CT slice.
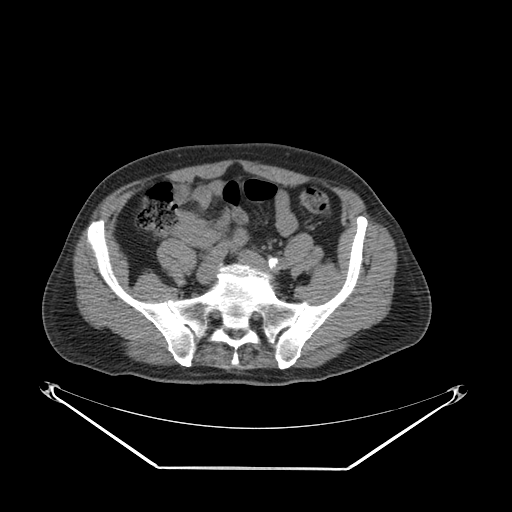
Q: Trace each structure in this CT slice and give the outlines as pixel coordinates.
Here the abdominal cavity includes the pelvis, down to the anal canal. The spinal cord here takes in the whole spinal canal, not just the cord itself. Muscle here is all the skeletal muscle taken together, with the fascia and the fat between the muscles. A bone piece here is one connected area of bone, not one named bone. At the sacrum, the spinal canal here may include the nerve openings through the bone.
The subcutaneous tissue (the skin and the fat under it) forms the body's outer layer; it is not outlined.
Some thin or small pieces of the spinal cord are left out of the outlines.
A: The torso is outlined by (246, 142) (279, 143) (321, 153) (347, 165) (367, 182) (402, 228) (426, 279) (432, 309) (423, 337) (412, 346) (343, 374) (275, 386) (158, 382) (130, 374) (109, 375) (62, 358) (49, 343) (43, 328) (42, 295) (72, 223) (97, 184) (122, 165) (157, 151) (195, 144). The muscle appears in 3 outlined pieces: piece 1: (228, 159) (340, 182) (362, 199) (394, 241) (397, 266) (388, 314) (359, 334) (345, 351) (317, 367) (291, 367) (307, 340) (353, 292) (369, 223) (362, 214) (355, 218) (345, 278) (336, 293) (318, 304) (296, 301) (296, 289) (307, 285) (311, 274) (290, 275) (284, 254) (288, 242) (306, 233) (322, 248) (322, 261) (336, 263) (338, 240) (345, 229) (340, 197) (319, 182) (284, 184) (233, 163) (215, 177) (186, 182) (166, 179) (136, 191) (118, 213) (113, 231) (127, 257) (129, 285) (149, 269) (178, 290) (176, 299) (145, 301) (127, 292) (113, 270) (105, 221) (99, 218) (92, 220) (88, 224) (86, 228) (86, 242) (103, 281) (153, 324) (178, 364) (153, 365) (132, 359) (115, 338) (91, 326) (78, 310) (72, 258) (79, 236) (97, 205) (132, 181); piece 2: (208, 332) (208, 341) (222, 342) (233, 349) (230, 365) (234, 368) (240, 367) (238, 349) (245, 344) (258, 344) (261, 341) (261, 332) (267, 342) (273, 344) (273, 356) (277, 368) (234, 369) (233, 371) (228, 371) (212, 366) (192, 366) (197, 349) (195, 338) (201, 339); piece 3: (169, 238) (173, 238) (176, 240) (180, 241) (188, 248) (190, 248) (193, 250) (195, 253) (195, 262) (193, 265) (192, 270) (189, 274) (184, 284) (181, 286) (176, 285) (172, 277) (164, 271) (160, 265) (160, 263) (158, 261) (158, 259) (156, 255) (156, 250) (161, 242). The bones are outlined by (359, 215) (368, 223) (356, 284) (284, 369) (261, 331) (237, 349) (239, 367) (208, 331) (194, 338) (191, 366) (180, 365) (104, 281) (87, 242) (89, 224) (104, 221) (113, 273) (141, 301) (199, 296) (220, 264) (239, 263) (271, 274) (279, 299) (318, 305) (345, 281) with holes at (254, 313) (257, 313) (258, 314) (259, 314) (261, 317) (261, 323) (260, 324) (260, 325) (257, 327) (253, 327) (252, 326) (251, 326) (249, 323) (249, 320) (250, 319) (250, 317) (251, 316) (251, 315) and at (212, 311) (215, 311) (216, 312) (217, 312) (218, 313) (218, 314) (219, 315) (219, 321) (218, 322) (218, 323) (217, 324) (216, 324) (215, 325) (212, 325) (211, 324) (210, 324) (209, 323) (209, 322) (208, 321) (208, 315) (209, 314) (209, 313) (210, 312) (211, 312) and at (230, 329) (233, 329) (234, 330) (238, 330) (239, 329) (241, 329) (242, 330) (243, 330) (244, 331) (245, 331) (245, 332) (244, 333) (244, 334) (241, 337) (240, 337) (239, 338) (233, 338) (232, 337) (231, 337) (230, 336) (230, 335) (226, 331) (227, 330) (229, 330). The abdominal cavity is outlined by (233, 164) (334, 192) (344, 227) (336, 262) (323, 261) (308, 233) (293, 236) (283, 252) (288, 273) (310, 274) (295, 301) (277, 296) (271, 273) (239, 262) (220, 263) (196, 296) (180, 298) (149, 268) (130, 285) (114, 234) (126, 202) (154, 183) (215, 178); inner edge: (169, 238) (173, 238) (176, 240) (180, 241) (188, 248) (190, 248) (193, 250) (195, 253) (195, 262) (193, 265) (192, 270) (189, 274) (184, 284) (181, 286) (176, 285) (172, 277) (164, 271) (160, 265) (160, 263) (158, 261) (158, 259) (156, 255) (156, 250) (161, 242). The spinal cord appears in 2 outlined pieces: piece 1: (254, 313) (257, 313) (258, 314) (259, 314) (261, 317) (261, 323) (260, 324) (260, 325) (257, 327) (253, 327) (252, 326) (251, 326) (249, 323) (249, 320) (250, 319) (250, 317) (251, 316) (251, 315); piece 2: (212, 311) (215, 311) (216, 312) (217, 312) (218, 313) (218, 314) (219, 315) (219, 321) (218, 322) (218, 323) (217, 324) (216, 324) (215, 325) (212, 325) (211, 324) (210, 324) (209, 323) (209, 322) (208, 321) (208, 315) (209, 314) (209, 313) (210, 312) (211, 312).